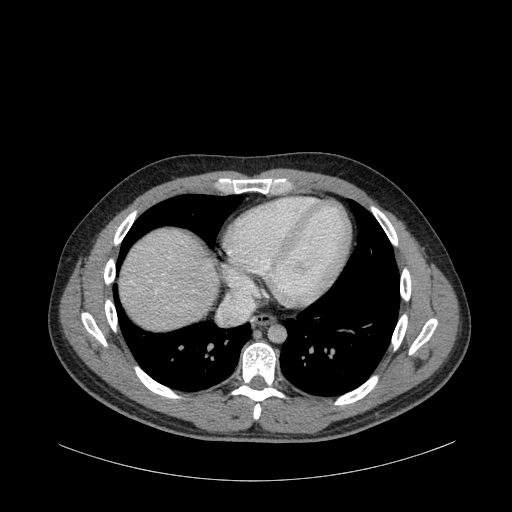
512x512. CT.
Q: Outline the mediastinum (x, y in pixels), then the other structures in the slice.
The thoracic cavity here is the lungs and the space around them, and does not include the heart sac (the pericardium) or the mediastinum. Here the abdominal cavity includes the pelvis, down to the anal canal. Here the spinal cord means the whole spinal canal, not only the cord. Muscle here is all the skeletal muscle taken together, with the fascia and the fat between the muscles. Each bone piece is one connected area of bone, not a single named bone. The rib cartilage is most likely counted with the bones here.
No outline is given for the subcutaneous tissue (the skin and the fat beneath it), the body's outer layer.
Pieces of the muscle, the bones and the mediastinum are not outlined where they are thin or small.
A: {"mediastinum":[[[278,357],[287,337],[287,331],[283,325],[283,320],[287,317],[296,317],[300,311],[284,312],[266,308],[243,294],[233,291],[222,282],[220,284],[220,297],[208,319],[226,327],[248,321],[251,325],[252,332],[244,346],[254,341],[264,341],[273,347]],[[216,258],[216,249],[217,248],[219,234],[227,220],[232,215],[245,206],[263,197],[270,196],[255,192],[248,192],[247,193],[240,194],[243,196],[243,200],[226,218],[216,237],[216,243],[215,246],[212,249],[212,251],[214,252],[214,256]],[[351,254],[356,245],[357,226],[355,218],[347,202],[346,199],[347,198],[340,196],[335,193],[323,190],[310,190],[308,191],[315,191],[322,194],[330,195],[341,201],[346,206],[352,216],[352,219],[354,222],[354,230],[355,231],[354,245],[352,248]]],"abdominal_cavity":[[[152,332],[167,332],[207,319],[219,297],[219,284],[221,279],[217,273],[217,265],[215,263],[213,252],[201,238],[184,228],[164,226],[152,230],[140,238],[128,251],[121,266],[120,272],[116,278],[120,302],[126,315],[132,323],[138,327]]],"bones":[{"outer":[[256,420],[261,412],[260,403],[265,398],[276,396],[289,399],[282,385],[285,380],[277,369],[277,356],[272,347],[264,342],[254,342],[243,348],[240,365],[231,375],[234,380],[233,385],[227,393],[227,396],[242,394],[252,399],[255,402],[253,417]],"hole":[[255,389],[261,389],[262,388],[263,388],[266,385],[266,384],[265,383],[265,382],[264,381],[263,378],[261,376],[260,376],[259,375],[257,375],[256,376],[254,376],[252,378],[252,379],[250,381],[250,382],[249,383],[249,385],[251,387],[252,387]]},[[269,195],[275,195],[276,194],[281,194],[282,193],[289,192],[295,188],[294,183],[286,177],[278,177],[277,178],[271,178],[270,177],[267,177],[266,178],[230,178],[229,177],[219,177],[212,184],[213,188],[216,191],[223,192],[226,194],[255,191]],[[177,399],[182,399],[184,398],[184,394],[180,392],[178,392],[175,390],[173,390],[157,382],[150,376],[149,376],[137,364],[135,364],[133,366],[133,368],[136,375],[138,377],[140,381],[147,388],[157,394],[165,396],[168,398],[176,398]],[[334,405],[343,405],[344,404],[347,404],[348,403],[354,402],[362,398],[375,386],[375,385],[378,381],[379,375],[377,373],[374,373],[372,374],[367,380],[366,380],[357,388],[349,392],[347,392],[342,395],[340,395],[336,397],[333,401],[333,404]],[[393,247],[398,247],[398,239],[397,238],[397,235],[395,232],[395,230],[392,224],[385,215],[385,214],[380,209],[379,209],[376,206],[372,204],[370,204],[368,207],[368,209],[373,214],[373,215],[376,218],[376,219],[384,230],[386,235],[388,237]],[[409,355],[413,354],[418,348],[419,348],[430,338],[434,330],[436,328],[437,324],[438,323],[438,321],[436,318],[432,317],[428,319],[425,322],[420,332],[418,334],[418,335],[416,337],[414,341],[411,344],[408,350],[408,354]],[[392,352],[396,351],[396,350],[399,347],[402,341],[402,339],[404,336],[404,334],[407,327],[407,314],[406,312],[403,312],[399,316],[398,320],[397,321],[397,323],[395,326],[395,328],[394,329],[394,331],[391,338],[391,341],[388,347],[388,350]],[[104,347],[107,347],[108,344],[107,343],[107,342],[106,341],[106,340],[105,339],[102,332],[98,327],[98,326],[95,322],[93,317],[88,312],[83,311],[81,313],[81,320],[82,321],[82,322],[83,323],[86,330],[90,334],[91,334]],[[115,246],[119,246],[124,236],[126,234],[129,228],[137,217],[138,215],[138,210],[137,209],[134,209],[132,211],[131,211],[125,217],[125,218],[118,226],[116,230],[116,232],[114,235],[114,238],[113,239],[113,244]],[[405,302],[408,302],[408,301],[409,300],[409,298],[410,297],[410,293],[411,292],[411,281],[410,280],[410,275],[409,274],[409,271],[408,270],[408,269],[406,267],[403,267],[400,272],[400,296],[401,297],[401,299],[402,300],[403,300]],[[115,333],[116,333],[119,330],[119,326],[118,325],[118,321],[117,320],[117,316],[116,315],[116,310],[115,309],[115,307],[114,306],[114,304],[113,303],[113,301],[112,299],[110,298],[106,298],[105,299],[105,313],[107,317],[107,320],[112,330]],[[106,285],[110,285],[111,284],[112,284],[112,283],[114,281],[114,279],[115,278],[115,260],[113,257],[110,257],[108,259],[108,260],[105,265],[105,267],[104,268],[104,272],[103,273],[103,276],[104,277],[104,281],[105,282],[105,284]]],"spinal_cord":[[[255,389],[261,389],[262,388],[263,388],[266,385],[266,384],[265,383],[265,382],[264,381],[263,378],[261,376],[260,376],[259,375],[257,375],[256,376],[254,376],[252,378],[252,379],[250,381],[250,382],[249,383],[249,385],[251,387],[252,387]]],"thoracic_cavity":[[[335,397],[357,387],[373,372],[389,344],[398,317],[400,302],[399,272],[392,246],[372,214],[349,198],[347,199],[358,226],[357,245],[333,285],[321,297],[302,310],[296,318],[284,320],[288,337],[278,358],[278,369],[290,384],[312,395]],[[181,391],[203,390],[227,380],[239,365],[241,350],[251,332],[249,323],[246,322],[242,325],[226,328],[211,320],[206,320],[167,333],[146,332],[132,324],[125,315],[119,302],[115,279],[112,285],[113,300],[117,310],[119,325],[136,361],[154,379]],[[116,277],[129,248],[140,237],[157,227],[173,225],[187,228],[201,237],[208,246],[212,248],[215,243],[215,237],[223,221],[239,204],[242,200],[242,196],[239,194],[226,195],[223,193],[183,193],[164,199],[153,205],[136,219],[122,241],[116,260]]],"torso":[[[257,443],[328,441],[391,419],[438,391],[455,372],[469,345],[469,305],[439,236],[398,185],[344,155],[323,151],[188,153],[158,159],[130,173],[97,201],[67,238],[58,260],[48,304],[48,333],[60,363],[83,390],[127,417],[170,433],[207,441]]],"pericardium":[[[284,311],[301,310],[321,296],[332,285],[347,261],[353,245],[353,222],[345,206],[335,198],[315,192],[297,192],[263,198],[245,207],[232,216],[228,220],[220,234],[216,263],[218,265],[218,273],[220,274],[222,281],[233,290],[243,293],[266,307]]],"muscle":[{"outer":[[286,433],[315,433],[334,421],[365,412],[367,410],[369,410],[379,404],[383,403],[407,391],[425,379],[428,378],[437,371],[446,361],[449,356],[449,354],[453,349],[455,341],[457,338],[457,334],[459,331],[459,326],[460,325],[459,304],[456,294],[451,284],[441,271],[426,256],[423,248],[418,243],[413,235],[406,228],[404,223],[402,221],[398,219],[391,212],[384,209],[362,189],[344,179],[335,176],[322,174],[317,172],[293,169],[292,168],[272,168],[252,176],[248,176],[245,174],[233,170],[217,170],[197,175],[191,175],[190,176],[175,178],[148,189],[139,195],[124,209],[120,211],[98,233],[95,240],[90,242],[79,258],[75,266],[75,268],[66,286],[64,288],[58,306],[59,321],[61,325],[61,329],[64,338],[68,341],[68,343],[72,347],[81,360],[101,379],[127,398],[147,408],[164,413],[170,416],[190,421],[196,426],[211,432],[228,432],[236,430],[243,430],[249,428],[254,424],[257,424],[263,429],[271,432],[285,432]],"holes":[[[256,420],[265,398],[289,399],[284,380],[312,395],[334,396],[334,405],[366,395],[378,381],[379,375],[373,371],[383,354],[387,349],[396,351],[404,336],[407,314],[399,316],[398,310],[401,299],[409,300],[411,281],[406,267],[398,271],[392,248],[398,247],[397,235],[376,206],[370,204],[366,209],[323,190],[293,192],[295,185],[286,177],[219,177],[212,184],[217,193],[183,193],[160,201],[139,216],[134,209],[125,217],[113,239],[120,247],[117,259],[110,257],[104,268],[105,284],[113,288],[113,298],[105,299],[105,313],[112,330],[121,329],[138,363],[134,371],[151,391],[182,399],[181,391],[207,389],[231,375],[234,381],[227,396],[242,394],[252,399]],[[409,355],[413,354],[418,348],[419,348],[430,338],[434,330],[436,328],[437,324],[438,323],[438,321],[436,318],[432,317],[428,319],[425,322],[420,332],[418,334],[418,335],[416,337],[414,341],[411,344],[408,350],[408,354]],[[104,347],[107,347],[108,344],[107,343],[107,342],[106,341],[106,340],[105,339],[102,332],[98,327],[98,326],[95,322],[93,317],[88,312],[83,311],[81,313],[81,320],[82,321],[82,322],[83,323],[86,330],[90,334],[91,334]]]}]}